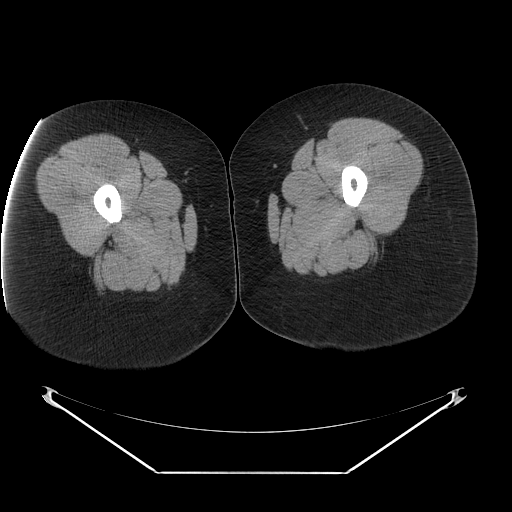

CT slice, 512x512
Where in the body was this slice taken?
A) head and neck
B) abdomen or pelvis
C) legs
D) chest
Answer: C) legs
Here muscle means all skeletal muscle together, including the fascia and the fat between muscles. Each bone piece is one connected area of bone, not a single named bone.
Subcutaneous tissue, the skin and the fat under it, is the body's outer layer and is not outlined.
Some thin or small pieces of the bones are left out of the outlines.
{"left_leg":[[[332,82],[359,82],[385,88],[409,98],[431,113],[462,157],[477,219],[476,283],[463,312],[448,325],[420,339],[358,354],[315,349],[275,334],[255,322],[237,299],[236,246],[231,223],[233,193],[226,170],[231,151],[246,127],[270,105],[298,91]]],"bones":[[[346,165],[355,165],[359,167],[365,173],[367,177],[367,181],[368,182],[367,184],[367,189],[361,201],[357,206],[355,206],[354,207],[347,204],[344,201],[343,199],[343,197],[342,196],[342,189],[341,188],[341,173],[342,172],[342,170],[343,168]],[[105,183],[110,183],[114,185],[116,187],[119,193],[120,198],[121,199],[121,206],[122,207],[122,216],[121,217],[121,219],[117,222],[114,222],[113,223],[109,223],[102,216],[101,216],[98,213],[93,203],[93,194],[98,187],[99,187],[101,185]]],"muscle":[{"outer":[[100,132],[111,133],[128,140],[155,156],[169,173],[180,180],[191,199],[197,217],[197,243],[179,285],[172,292],[159,299],[118,302],[98,295],[86,267],[81,261],[82,259],[65,241],[57,218],[46,210],[35,191],[35,172],[44,157],[71,139]],"hole":[[105,183],[110,183],[114,185],[116,187],[119,193],[120,198],[121,199],[121,206],[122,207],[122,216],[121,217],[121,219],[117,222],[114,222],[113,223],[109,223],[102,216],[101,216],[98,213],[93,203],[93,194],[98,187],[99,187],[101,185]]},{"outer":[[346,117],[375,118],[398,129],[420,151],[424,164],[423,177],[410,197],[405,220],[392,235],[386,238],[383,256],[375,265],[363,273],[342,280],[313,282],[286,271],[279,264],[268,236],[268,196],[274,179],[296,150],[305,141],[314,138],[327,123]],"hole":[[346,165],[355,165],[359,167],[365,173],[367,177],[367,181],[368,182],[367,184],[367,189],[361,201],[357,206],[355,206],[354,207],[347,204],[344,201],[343,199],[343,197],[342,196],[342,189],[341,188],[341,173],[342,172],[342,170],[343,168]]}],"right_leg":[[[103,98],[140,101],[178,114],[212,139],[225,163],[231,232],[235,246],[234,309],[222,327],[199,349],[173,365],[154,371],[106,371],[42,351],[22,334],[11,318],[1,285],[0,252],[4,212],[13,178],[30,138],[34,137],[44,116],[71,104]]]}